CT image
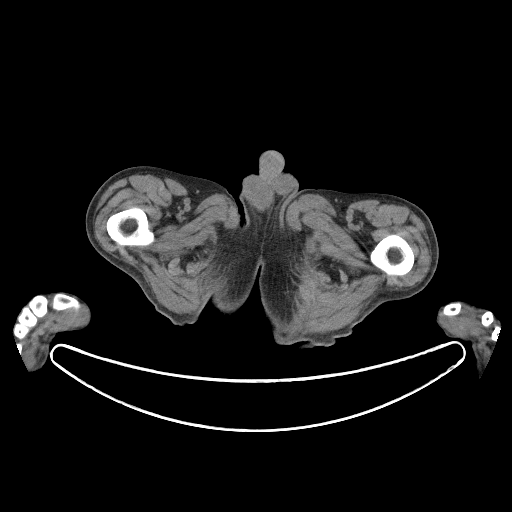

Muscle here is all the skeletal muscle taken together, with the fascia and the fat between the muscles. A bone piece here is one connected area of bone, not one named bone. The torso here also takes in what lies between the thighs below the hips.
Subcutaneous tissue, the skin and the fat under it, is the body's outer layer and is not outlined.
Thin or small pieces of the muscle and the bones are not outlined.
The left arm is outlined by 453,300 464,300 471,304 486,308 500,320 499,326 500,329 497,336 497,339 495,341 496,345 492,350 492,354 487,365 484,368 479,377 476,372 475,358 470,342 447,336 436,323 436,313 439,307 443,304. The left leg is outlined by 299,188 380,192 402,197 419,206 427,214 439,248 436,270 421,291 408,298 384,302 355,325 349,335 338,338 332,345 302,349 297,349 295,345 280,345 274,342 263,315 258,284 264,241 276,228 284,205. The muscle appears in 4 outlined pieces: piece 1: 308,193 322,195 342,207 365,198 378,198 408,206 419,215 429,236 431,261 426,275 406,290 379,293 354,319 341,328 322,334 298,333 292,328 292,318 306,290 300,270 301,242 287,224 286,211 293,200 with a hole at 389,234 397,234 399,235 401,237 405,239 412,248 413,254 414,255 414,262 413,263 413,265 411,269 408,272 403,275 389,275 384,271 376,267 370,261 370,257 369,256 370,252 373,249 375,245 382,238; piece 2: 142,173 155,173 176,178 188,187 197,200 214,193 221,193 230,197 236,205 237,225 222,240 222,250 217,257 220,268 207,295 193,313 178,314 162,305 142,274 106,251 94,235 93,211 105,190 123,177; inner edge: 130,207 139,207 145,212 148,219 148,226 149,229 152,231 154,234 154,241 151,244 145,246 138,246 137,245 121,245 115,242 108,234 106,229 106,223 108,218 112,214 127,209; piece 3: 49,296 53,296 50,305 54,310 62,311 68,308 78,310 82,304 86,309 87,318 85,323 80,326 52,331 41,356 33,367 28,369 21,358 23,351 21,340 37,324 38,319 47,313 49,305 47,297; piece 4: 462,304 483,312 480,316 480,323 484,327 487,328 494,321 497,322 490,333 490,339 495,342 496,345 485,367 481,364 474,338 472,336 462,337 455,335 448,331 440,321 442,313 445,316 455,316 459,314. The right arm is outlined by 52,291 70,292 83,299 88,304 91,310 91,319 89,324 84,329 58,332 50,343 49,353 43,366 38,370 30,372 22,361 21,355 16,344 13,328 16,318 20,310 26,303 34,296 36,296 40,293. The bones appear in 6 outlined pieces: piece 1: 130,207 139,207 145,212 148,219 148,226 149,229 152,231 154,234 154,241 151,244 145,246 138,246 137,245 121,245 115,242 108,234 106,229 106,223 108,218 112,214 127,209; piece 2: 389,234 397,234 399,235 401,237 405,239 412,248 413,254 414,255 414,262 413,263 413,265 411,269 408,272 403,275 389,275 384,271 376,267 370,261 370,257 369,256 370,252 373,249 375,245 382,238; piece 3: 37,295 42,295 47,298 48,300 47,311 43,316 39,317 37,319 36,324 20,340 20,342 22,345 22,351 20,354 16,344 16,342 18,340 14,335 13,328 14,325 17,322 17,317 22,308 34,296; piece 4: 57,293 62,293 66,295 69,295 77,299 79,301 81,305 80,307 78,309 75,309 73,307 68,307 62,310 56,310 54,309 51,305 51,302 52,301 52,299 54,295; piece 5: 455,302 457,302 458,303 460,303 461,304 461,308 460,309 460,311 459,312 459,313 458,313 455,315 445,315 442,312 442,311 443,310 443,308 444,307 444,306 445,306 446,305 447,305 450,303 454,303; piece 6: 486,311 490,311 493,314 493,317 494,318 494,320 487,327 486,327 485,326 484,326 481,323 481,316 482,315 482,314 484,312 485,312. The torso is outlined by 268,149 276,150 283,155 285,161 284,170 290,172 297,178 299,187 283,205 275,228 271,234 264,240 257,225 244,216 243,206 239,199 239,193 242,187 243,177 247,174 256,174 258,172 258,157 261,152. The right leg is outlined by 144,165 157,166 219,183 235,199 241,219 244,217 256,225 263,238 257,281 254,282 245,302 231,315 220,313 209,303 194,323 173,324 156,311 130,276 106,260 89,242 85,230 85,214 94,193 117,171.